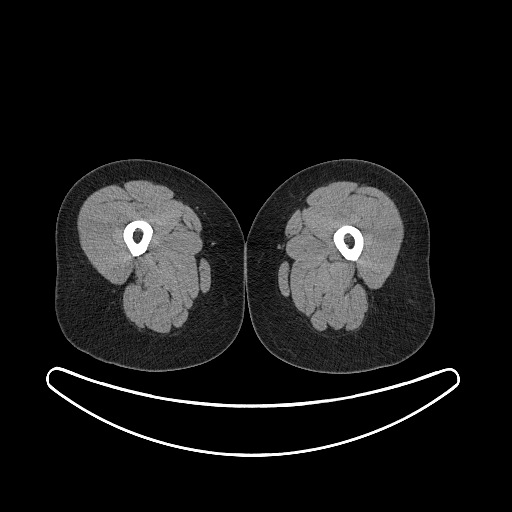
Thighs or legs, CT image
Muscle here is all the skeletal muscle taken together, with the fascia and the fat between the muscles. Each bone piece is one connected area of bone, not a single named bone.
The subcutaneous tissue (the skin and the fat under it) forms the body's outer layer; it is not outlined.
The left leg is outlined by 341 158; 367 160; 388 168; 406 181; 421 201; 427 215; 430 231; 429 268; 435 297; 435 319; 425 343; 402 362; 369 371; 334 374; 310 371; 286 363; 270 353; 257 337; 248 309; 245 280; 245 238; 258 210; 281 183; 306 167. The right leg is outlined by 130 158; 164 162; 197 176; 229 206; 241 227; 245 242; 244 280; 247 299; 243 321; 233 342; 222 353; 204 363; 170 371; 141 371; 106 363; 74 347; 64 337; 56 319; 54 309; 55 225; 62 200; 71 186; 92 169; 108 162. The muscle appears in 2 outlined pieces: piece 1: 134 179; 149 180; 167 186; 195 211; 202 224; 207 253; 212 263; 211 286; 210 290; 189 318; 184 329; 176 336; 151 336; 138 332; 130 325; 124 315; 118 298; 106 283; 105 279; 92 266; 79 243; 77 216; 84 200; 101 187; inner edge: 138 219; 143 219; 147 221; 151 225; 152 229; 153 230; 153 232; 152 233; 152 236; 151 237; 151 239; 148 244; 147 249; 140 255; 138 255; 137 256; 133 256; 128 249; 123 239; 123 230; 125 226; 129 222; 133 220; 137 220; piece 2: 339 180; 359 182; 385 192; 399 211; 404 226; 404 236; 394 268; 380 289; 364 326; 353 335; 325 338; 309 331; 296 318; 292 308; 284 301; 284 298; 280 294; 277 283; 277 272; 281 245; 284 240; 284 228; 292 213; 314 189, around a hole outlined by 345 224; 352 225; 356 227; 358 229; 359 229; 363 236; 363 239; 364 240; 363 248; 357 260; 355 261; 353 261; 352 260; 348 260; 346 259; 341 254; 339 250; 336 247; 333 241; 333 234; 334 232; 339 227. The bones appear in 2 outlined pieces: piece 1: 345 224; 352 225; 356 227; 358 229; 359 229; 363 236; 363 239; 364 240; 363 248; 357 260; 355 261; 353 261; 352 260; 348 260; 346 259; 341 254; 339 250; 336 247; 333 241; 333 234; 334 232; 339 227; piece 2: 138 219; 143 219; 147 221; 151 225; 152 229; 153 230; 153 232; 152 233; 152 236; 151 237; 151 239; 148 244; 147 249; 140 255; 138 255; 137 256; 133 256; 128 249; 123 239; 123 230; 125 226; 129 222; 133 220; 137 220.